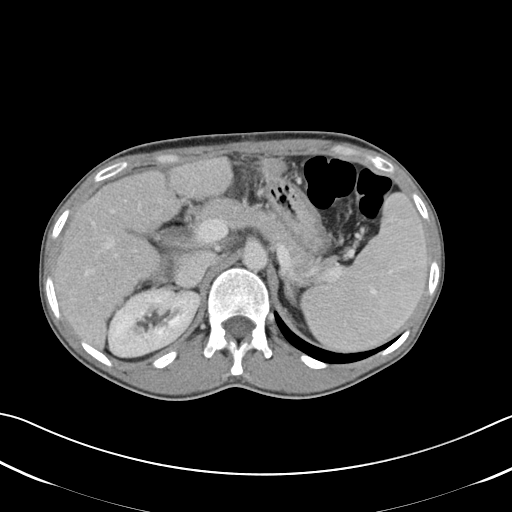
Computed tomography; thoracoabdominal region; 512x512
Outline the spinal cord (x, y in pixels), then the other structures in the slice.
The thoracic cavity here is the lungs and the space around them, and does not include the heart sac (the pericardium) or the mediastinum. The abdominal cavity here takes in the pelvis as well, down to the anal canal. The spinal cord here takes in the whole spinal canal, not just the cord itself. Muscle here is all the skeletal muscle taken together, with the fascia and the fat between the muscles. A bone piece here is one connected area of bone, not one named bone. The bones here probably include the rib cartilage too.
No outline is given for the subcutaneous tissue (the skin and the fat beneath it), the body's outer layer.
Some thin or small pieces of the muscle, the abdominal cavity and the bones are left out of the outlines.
{"spinal_cord":[[[234,316],[243,316],[244,317],[246,317],[247,318],[248,318],[254,323],[254,326],[250,332],[250,336],[249,337],[244,337],[243,338],[234,338],[233,337],[228,337],[226,335],[226,330],[222,325],[222,323],[227,319],[228,319],[231,317],[233,317]]],"bones":[{"outer":[[233,267],[244,268],[263,281],[270,305],[265,320],[265,331],[271,356],[266,358],[261,350],[249,349],[242,358],[243,371],[239,375],[232,375],[230,372],[233,357],[226,348],[216,350],[210,357],[203,353],[210,330],[207,302],[211,285],[220,273]],"hole":[[234,316],[243,316],[244,317],[246,317],[247,318],[248,318],[254,323],[254,326],[250,332],[250,336],[249,337],[244,337],[243,338],[234,338],[233,337],[228,337],[226,335],[226,330],[222,325],[222,323],[227,319],[228,319],[231,317],[233,317]]},[[334,145],[348,146],[357,150],[359,150],[362,152],[370,154],[373,156],[380,156],[389,161],[393,165],[394,167],[394,171],[392,173],[389,173],[383,171],[373,164],[366,157],[362,157],[357,155],[340,155],[334,153],[329,150],[330,147]],[[48,276],[50,276],[52,278],[52,280],[53,281],[53,285],[54,286],[55,295],[57,299],[57,303],[58,304],[58,307],[60,312],[60,317],[59,318],[56,318],[55,317],[47,301],[47,297],[46,296],[46,292],[44,288],[44,284]],[[122,161],[126,161],[128,164],[127,166],[120,172],[119,172],[117,174],[113,176],[111,176],[108,178],[106,178],[100,181],[97,181],[96,182],[94,180],[94,176],[100,170],[101,170],[105,167],[107,167],[110,165],[112,165],[115,163],[121,162]],[[433,260],[434,260],[437,263],[437,264],[439,267],[439,279],[438,280],[438,283],[436,286],[436,288],[435,289],[433,294],[432,295],[430,295],[428,293],[428,280],[429,279],[429,272],[430,271],[430,264],[431,263],[431,261],[432,261]],[[82,340],[84,340],[87,343],[88,343],[90,345],[91,345],[93,347],[100,351],[105,357],[108,358],[112,364],[111,366],[108,366],[104,364],[102,362],[99,361],[97,359],[93,357],[90,354],[89,354],[83,348],[81,344],[81,341]],[[171,350],[175,350],[177,352],[177,354],[172,362],[171,362],[166,366],[165,366],[164,367],[162,367],[161,368],[157,368],[156,367],[154,367],[152,365],[152,362],[153,361],[154,361],[155,360],[157,360],[159,358],[160,358],[164,354],[169,352]],[[66,209],[68,209],[69,210],[69,214],[68,215],[68,217],[61,231],[59,233],[57,237],[56,238],[53,238],[51,236],[51,234],[52,233],[52,230],[53,229],[53,226],[55,222],[57,220],[57,219],[60,216],[60,215]],[[406,329],[408,329],[409,330],[409,333],[408,334],[407,337],[405,339],[405,340],[397,348],[396,348],[393,351],[392,351],[391,352],[390,352],[385,355],[382,355],[381,354],[378,354],[378,353],[380,351],[385,349],[388,346],[389,346]],[[302,352],[303,353],[304,353],[305,354],[306,354],[315,359],[317,359],[320,361],[322,361],[323,362],[325,362],[326,363],[328,363],[328,365],[326,367],[325,367],[324,368],[311,368],[310,367],[309,367],[307,365],[306,365],[300,359],[300,355]],[[413,193],[415,193],[416,194],[417,194],[423,201],[423,202],[425,205],[425,207],[427,210],[427,213],[428,214],[428,220],[426,220],[422,217],[422,216],[420,214],[418,209],[416,207],[416,205],[414,202],[414,200],[412,198],[412,196],[411,195]]],"torso":[[[265,130],[325,130],[358,136],[394,156],[424,189],[443,232],[445,275],[413,347],[392,365],[354,385],[305,399],[273,397],[241,387],[182,401],[156,399],[121,387],[75,359],[50,328],[38,288],[42,235],[65,194],[93,166],[130,146],[188,135]]],"abdominal_cavity":[[[234,152],[322,152],[393,178],[411,196],[425,226],[430,263],[423,299],[397,337],[354,353],[313,345],[273,312],[264,281],[238,266],[214,278],[194,329],[157,359],[124,365],[76,333],[60,311],[53,275],[62,230],[80,203],[104,182],[134,168]]],"thoracic_cavity":[[[274,312],[276,312],[278,314],[285,325],[294,334],[304,341],[323,350],[338,354],[354,354],[360,352],[365,352],[368,350],[372,350],[377,348],[396,338],[385,348],[365,358],[351,362],[329,363],[315,358],[303,352],[290,343],[278,327],[275,320]]],"muscle":[[[437,286],[416,333],[398,354],[351,380],[307,393],[266,389],[239,378],[186,394],[142,389],[103,370],[76,351],[52,319],[44,293],[54,317],[59,319],[61,314],[81,338],[82,348],[108,367],[113,364],[110,359],[124,366],[136,367],[152,361],[154,368],[166,367],[178,354],[174,349],[192,333],[206,308],[209,330],[202,353],[210,358],[216,351],[226,349],[232,357],[229,372],[232,376],[239,376],[244,371],[242,361],[249,350],[261,351],[266,359],[272,356],[266,331],[269,310],[272,310],[275,323],[285,339],[301,351],[299,359],[311,369],[324,369],[329,364],[351,363],[377,353],[385,356],[393,352],[408,337],[410,330],[406,328],[426,292],[432,296]],{"outer":[[300,138],[333,140],[355,144],[375,151],[401,167],[421,192],[434,216],[441,246],[440,277],[440,267],[438,263],[430,258],[430,244],[424,223],[424,220],[429,220],[426,205],[417,193],[413,192],[410,195],[400,187],[393,177],[375,173],[357,162],[340,159],[322,151],[285,155],[234,151],[229,153],[196,155],[195,157],[189,158],[180,158],[174,153],[161,153],[157,154],[154,160],[159,164],[163,164],[134,167],[104,181],[79,203],[69,217],[70,210],[66,208],[54,222],[50,236],[56,239],[61,232],[61,235],[53,261],[52,277],[48,275],[44,283],[43,282],[45,245],[49,229],[56,214],[87,177],[106,163],[130,154],[167,148],[213,145],[250,140]],"holes":[[[334,145],[343,145],[344,146],[348,146],[357,150],[359,150],[362,152],[370,154],[373,156],[380,156],[389,161],[393,165],[394,167],[394,171],[392,173],[382,171],[373,164],[366,157],[362,157],[357,155],[340,155],[334,153],[329,150],[330,147]],[[122,161],[126,161],[128,164],[127,166],[120,172],[119,172],[117,174],[113,176],[111,176],[108,178],[106,178],[100,181],[97,181],[96,182],[94,180],[94,176],[100,170],[101,170],[105,167],[107,167],[110,165],[112,165],[115,163],[121,162]]]}]}